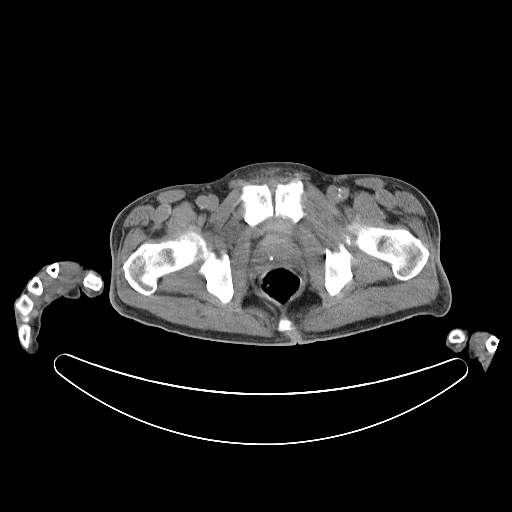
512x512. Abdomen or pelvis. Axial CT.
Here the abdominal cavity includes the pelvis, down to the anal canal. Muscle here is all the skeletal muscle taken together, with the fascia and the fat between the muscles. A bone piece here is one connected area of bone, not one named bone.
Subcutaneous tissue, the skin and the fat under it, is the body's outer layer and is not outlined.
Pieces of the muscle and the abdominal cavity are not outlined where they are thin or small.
{"abdominal_cavity":[[[273,216],[287,218],[295,224],[299,234],[303,251],[302,255],[305,269],[305,285],[300,293],[291,299],[284,309],[262,294],[259,294],[254,288],[254,286],[252,285],[253,284],[249,277],[250,276],[249,266],[250,239],[256,230],[256,226],[264,220]]],"torso":[[[263,161],[298,162],[327,173],[381,174],[419,189],[433,205],[439,220],[439,258],[451,288],[448,312],[440,317],[416,315],[345,337],[291,346],[204,340],[119,314],[109,299],[112,261],[109,236],[117,214],[133,200],[156,189],[209,182],[237,167]]],"bones":[[[187,230],[201,234],[207,246],[217,257],[220,257],[223,251],[228,254],[233,283],[233,295],[229,302],[222,303],[207,290],[206,280],[198,271],[201,260],[161,276],[157,280],[156,290],[150,295],[135,290],[125,278],[123,263],[142,243],[175,239]],[[353,222],[409,230],[429,251],[426,263],[415,276],[399,280],[387,262],[365,253],[355,244],[347,245],[356,259],[351,264],[352,279],[337,294],[331,296],[324,285],[324,249],[337,251],[338,244],[344,242],[345,235],[354,239],[355,236],[346,228]],[[292,180],[301,180],[304,189],[302,196],[302,205],[305,215],[296,223],[294,223],[287,217],[276,215],[264,219],[254,227],[250,226],[244,220],[242,215],[244,209],[242,206],[242,202],[239,200],[244,184],[266,184],[273,192],[278,183],[285,184]],[[34,276],[37,276],[40,279],[43,290],[40,295],[28,293],[28,296],[33,302],[33,306],[28,315],[30,345],[28,348],[25,348],[22,345],[18,334],[18,325],[21,322],[21,319],[20,314],[15,307],[15,303],[23,293],[27,292],[27,284]],[[89,271],[92,271],[98,277],[99,277],[100,278],[100,279],[102,282],[102,284],[101,285],[100,288],[98,290],[93,290],[90,288],[88,288],[87,287],[86,287],[83,284],[83,283],[82,282],[82,281],[83,280],[83,278],[86,275],[86,274]],[[456,329],[458,329],[459,330],[461,330],[464,333],[464,334],[465,335],[465,340],[464,340],[463,341],[462,341],[461,342],[456,342],[455,343],[452,343],[451,342],[450,342],[448,340],[448,335],[449,334],[449,333],[452,330],[455,330]],[[284,317],[285,317],[286,318],[289,319],[291,321],[291,322],[292,323],[292,324],[293,325],[294,328],[291,330],[285,330],[284,331],[278,331],[277,330],[277,326],[278,325],[278,322],[279,321],[279,320],[281,318],[283,318]],[[492,335],[493,335],[497,339],[496,340],[496,345],[495,346],[495,349],[494,350],[494,351],[493,352],[493,353],[492,354],[491,354],[488,352],[488,351],[487,350],[487,349],[485,346],[485,341],[490,336],[491,336]],[[53,263],[57,263],[58,264],[58,265],[59,266],[59,270],[58,271],[58,274],[57,275],[57,277],[56,277],[55,278],[54,278],[53,277],[52,277],[46,271],[46,269],[47,268],[47,267],[49,265],[50,265],[51,264],[52,264]]],"right_arm":[[[60,260],[74,260],[87,268],[96,270],[103,280],[103,291],[95,297],[88,297],[82,292],[77,299],[62,296],[48,305],[41,315],[41,325],[37,336],[39,347],[37,352],[32,355],[22,347],[15,323],[14,302],[28,280],[43,265],[52,264]]],"muscle":[{"outer":[[270,168],[295,169],[314,178],[337,184],[344,184],[359,178],[375,177],[389,181],[411,192],[418,199],[426,213],[428,228],[435,248],[434,262],[439,284],[435,299],[429,304],[369,317],[324,331],[303,331],[300,336],[292,338],[280,332],[267,337],[189,327],[167,321],[144,309],[131,306],[122,301],[117,293],[116,283],[116,258],[121,231],[128,214],[142,200],[168,190],[215,190],[222,188],[228,182],[259,170]],"holes":[[[292,180],[301,180],[304,189],[302,205],[305,215],[295,225],[302,245],[305,285],[284,309],[259,294],[252,285],[249,277],[250,239],[256,227],[250,226],[244,220],[242,215],[244,209],[239,198],[244,184],[266,184],[273,192],[278,183],[285,184]],[[187,230],[201,234],[207,246],[217,257],[220,257],[223,251],[228,254],[233,283],[233,295],[229,302],[222,303],[207,290],[206,280],[198,271],[201,260],[161,276],[157,280],[156,290],[150,295],[135,290],[125,278],[123,263],[142,243],[175,239]],[[353,222],[409,230],[429,251],[426,263],[415,276],[399,280],[387,262],[365,253],[355,244],[347,245],[356,259],[351,264],[352,279],[337,294],[331,296],[324,285],[324,249],[337,251],[338,244],[344,242],[345,235],[354,239],[355,236],[346,228]],[[307,285],[308,285],[307,287],[308,289],[310,291],[315,293],[319,299],[317,301],[312,302],[309,304],[299,305],[294,310],[292,310],[292,308],[293,308],[294,306],[295,306],[296,304],[298,303],[298,300],[300,299],[304,293],[304,291],[306,289]],[[252,294],[253,295],[255,295],[257,294],[257,296],[259,300],[265,306],[269,308],[269,309],[271,311],[268,311],[264,308],[259,307],[253,304],[251,304],[250,305],[246,305],[245,306],[241,306],[242,305],[242,302],[244,298]],[[284,317],[285,317],[286,318],[289,319],[291,321],[291,322],[292,323],[292,324],[293,325],[294,328],[291,330],[285,330],[284,331],[278,331],[277,330],[277,326],[278,325],[278,322],[279,321],[279,320],[281,318],[283,318]]]},[[61,264],[71,264],[80,273],[85,275],[71,289],[66,292],[55,293],[40,305],[31,325],[31,342],[29,315],[33,309],[34,302],[29,296],[29,293],[40,296],[44,288],[38,276],[45,270],[52,278],[57,278],[60,270],[59,265]],[[481,334],[483,334],[484,335],[486,335],[488,336],[488,337],[484,341],[484,346],[487,352],[489,354],[488,356],[485,359],[482,359],[481,357],[478,354],[476,353],[474,349],[474,347],[475,346],[475,339],[477,336]]],"left_arm":[[[456,326],[465,327],[469,332],[472,332],[479,328],[484,329],[492,333],[497,339],[495,349],[492,354],[491,360],[485,371],[483,370],[481,365],[476,359],[470,359],[468,357],[467,352],[465,350],[462,350],[459,352],[454,352],[445,345],[447,335]]]}